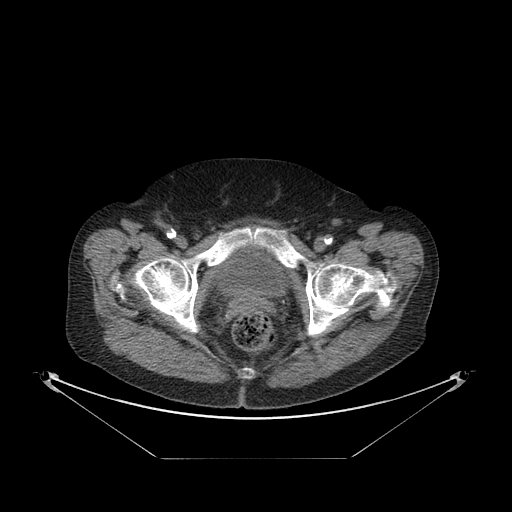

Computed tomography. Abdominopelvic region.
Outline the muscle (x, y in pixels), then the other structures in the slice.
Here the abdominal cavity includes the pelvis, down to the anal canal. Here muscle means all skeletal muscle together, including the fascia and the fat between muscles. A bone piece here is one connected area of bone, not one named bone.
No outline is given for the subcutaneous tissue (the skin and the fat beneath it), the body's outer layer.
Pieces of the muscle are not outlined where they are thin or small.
muscle: (247, 215) (268, 217) (285, 222) (312, 249) (320, 254) (337, 249) (350, 237) (357, 227) (374, 220) (400, 225) (417, 236) (424, 252) (423, 273) (410, 297) (399, 324) (377, 348) (343, 369) (295, 389) (277, 389) (269, 387) (264, 383) (240, 379) (223, 383) (195, 383) (162, 377) (113, 354) (107, 348) (101, 337) (93, 308) (91, 278) (83, 265) (83, 245) (92, 232) (101, 226) (126, 218) (143, 224) (170, 248) (182, 251) (213, 232) (220, 224) with holes at (246, 226) (286, 230) (310, 260) (381, 270) (395, 280) (393, 300) (377, 310) (376, 294) (363, 292) (326, 331) (309, 336) (306, 269) (283, 265) (299, 320) (273, 354) (233, 356) (201, 316) (218, 269) (243, 246) (198, 267) (196, 333) (131, 281) (161, 256) (191, 257) and at (113, 275) (115, 276) (115, 278) (118, 281) (122, 281) (124, 285) (126, 287) (126, 291) (125, 292) (125, 295) (126, 296) (126, 300) (125, 301) (122, 301) (120, 299) (118, 294) (116, 292) (112, 290) (110, 286) (110, 281) and at (245, 366) (248, 366) (249, 367) (251, 367) (252, 368) (253, 368) (254, 369) (254, 370) (255, 371) (255, 377) (254, 378) (253, 378) (252, 379) (244, 379) (243, 378) (240, 378) (239, 377) (238, 377) (238, 371) (242, 367) (244, 367)
torso: (222, 157) (273, 158) (303, 164) (371, 204) (396, 204) (418, 216) (430, 230) (439, 257) (439, 278) (421, 347) (348, 392) (309, 404) (265, 410) (212, 408) (167, 400) (79, 358) (66, 339) (65, 310) (68, 257) (80, 226) (102, 206) (136, 198) (150, 182) (174, 168)
bones 1: (246, 226) (286, 230) (310, 260) (381, 270) (395, 280) (393, 300) (377, 310) (376, 294) (363, 292) (326, 331) (309, 336) (304, 265) (286, 267) (248, 243) (217, 265) (200, 264) (193, 305) (199, 330) (184, 329) (151, 305) (131, 282) (134, 273) (161, 256) (191, 257)
bones 2: (113, 275) (115, 276) (115, 278) (118, 281) (122, 281) (124, 285) (126, 287) (126, 291) (125, 292) (125, 295) (126, 296) (126, 300) (125, 301) (122, 301) (120, 299) (118, 294) (116, 292) (112, 290) (110, 286) (110, 281)
bones 3: (245, 366) (248, 366) (249, 367) (251, 367) (252, 368) (253, 368) (254, 369) (254, 370) (255, 371) (255, 377) (254, 378) (253, 378) (252, 379) (244, 379) (243, 378) (240, 378) (239, 377) (238, 377) (238, 371) (242, 367) (244, 367)
abdominal cavity: (255, 246) (268, 251) (286, 270) (287, 275) (290, 279) (294, 298) (300, 313) (300, 318) (286, 341) (273, 354) (260, 360) (243, 359) (233, 356) (210, 333) (207, 327) (208, 326) (201, 319) (202, 310) (210, 295) (218, 269) (236, 251) (244, 247) (254, 247)